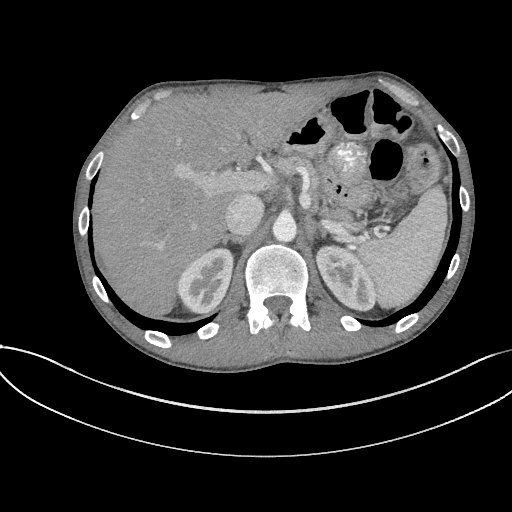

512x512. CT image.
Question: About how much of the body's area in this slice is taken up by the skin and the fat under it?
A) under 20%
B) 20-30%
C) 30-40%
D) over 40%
Answer: A) under 20%
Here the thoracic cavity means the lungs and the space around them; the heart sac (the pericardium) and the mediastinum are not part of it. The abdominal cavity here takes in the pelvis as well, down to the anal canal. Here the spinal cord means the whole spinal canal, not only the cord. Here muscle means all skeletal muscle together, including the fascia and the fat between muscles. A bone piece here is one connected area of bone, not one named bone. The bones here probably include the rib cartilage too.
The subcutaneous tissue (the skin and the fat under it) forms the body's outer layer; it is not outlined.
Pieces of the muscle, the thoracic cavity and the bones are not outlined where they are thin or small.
The bones appear in 13 outlined pieces: piece 1: [[252,334],[256,334],[262,328],[268,328],[275,323],[282,322],[300,326],[306,331],[310,329],[305,296],[308,283],[307,266],[299,252],[290,247],[277,243],[263,245],[252,252],[247,259],[244,277],[249,296],[249,307],[245,315],[249,323],[250,333]] with a hole at [[271,315],[273,314],[280,314],[281,313],[286,312],[291,302],[291,300],[288,297],[286,297],[285,296],[273,296],[272,297],[269,297],[267,298],[265,300],[264,303],[265,305],[268,308],[269,310],[269,312]]; piece 2: [[456,157],[457,157],[460,153],[460,147],[459,146],[459,144],[455,136],[450,131],[446,129],[441,124],[438,123],[436,125],[436,128],[438,131],[438,133],[439,134],[439,136],[440,138],[442,140],[443,143],[446,146],[446,147]]; piece 3: [[164,348],[167,348],[171,346],[171,341],[168,335],[162,332],[160,332],[159,331],[156,331],[155,330],[150,330],[149,329],[144,330],[144,337],[147,341],[148,341],[150,343],[154,345],[156,345],[160,347],[163,347]]; piece 4: [[88,181],[90,181],[92,179],[92,178],[97,173],[97,172],[102,163],[102,161],[103,160],[103,158],[104,157],[104,151],[103,151],[102,150],[100,150],[99,151],[98,151],[95,154],[95,155],[90,160],[90,161],[85,170],[85,178]]; piece 5: [[86,237],[87,235],[87,229],[89,225],[89,220],[90,219],[90,209],[88,206],[88,204],[87,202],[84,205],[84,206],[82,208],[79,214],[79,216],[78,217],[78,222],[77,223],[77,227],[78,228],[78,232],[79,234],[82,236],[85,236]]; piece 6: [[414,106],[418,105],[418,101],[413,96],[412,96],[409,93],[408,93],[403,89],[395,85],[390,84],[384,81],[382,79],[378,79],[378,81],[379,82],[380,82],[383,85],[385,85],[387,87],[388,87],[398,96],[403,99],[404,101]]; piece 7: [[396,333],[401,332],[402,331],[407,329],[415,322],[416,322],[416,321],[418,319],[418,317],[419,316],[419,312],[418,311],[417,312],[414,312],[413,313],[411,313],[410,314],[403,317],[397,322],[396,322],[395,323],[395,325],[394,326],[394,331]]; piece 8: [[200,339],[206,339],[207,338],[209,338],[210,337],[215,335],[217,333],[217,332],[218,331],[218,329],[219,328],[219,324],[214,321],[211,321],[210,322],[207,323],[205,325],[200,327],[195,332],[196,333],[197,336]]; piece 9: [[348,331],[355,331],[356,330],[358,330],[361,328],[361,327],[362,326],[362,324],[356,318],[355,318],[353,316],[351,316],[350,315],[343,315],[340,317],[340,322],[341,323],[341,324],[342,325],[342,326],[346,330],[347,330]]; piece 10: [[107,303],[110,303],[111,302],[111,301],[109,299],[109,298],[105,291],[105,289],[104,288],[100,279],[97,276],[97,275],[95,273],[94,273],[92,276],[92,284],[93,285],[93,287],[94,288],[96,293],[99,296],[99,297],[103,301],[104,301]]; piece 11: [[464,212],[467,211],[470,207],[470,199],[469,198],[469,196],[468,195],[468,193],[466,189],[464,187],[464,186],[461,183],[460,183],[459,185],[459,188],[458,189],[458,193],[459,194],[459,202],[460,203],[460,205],[461,206],[462,211]]; piece 12: [[445,280],[447,280],[448,279],[449,279],[454,274],[454,273],[456,271],[456,270],[458,267],[458,265],[459,264],[459,254],[458,253],[458,252],[456,250],[451,259],[451,261],[450,262],[450,264],[449,265],[449,267],[448,268],[447,273],[445,276]]; piece 13: [[133,120],[134,119],[137,119],[141,115],[141,114],[145,110],[145,109],[147,107],[147,106],[150,103],[150,101],[149,100],[147,100],[145,102],[144,102],[143,103],[140,104],[131,113],[131,114],[130,115],[130,117],[131,118],[131,119],[132,119]]. The abdominal cavity is outlined by [[172,322],[216,316],[248,256],[271,242],[299,251],[319,289],[346,314],[377,320],[409,305],[437,269],[451,228],[451,163],[435,127],[378,86],[333,95],[173,94],[156,103],[105,153],[92,194],[92,240],[96,265],[116,295],[141,315]]. The torso is outlined by [[212,374],[287,362],[343,364],[378,355],[417,337],[450,302],[467,266],[474,232],[470,161],[457,130],[406,79],[389,71],[369,70],[279,81],[158,81],[126,102],[86,156],[74,190],[72,237],[78,271],[91,303],[106,323],[139,351],[172,367]]. The spinal cord is outlined by [[271,315],[273,314],[280,314],[281,313],[286,312],[291,302],[291,300],[288,297],[286,297],[285,296],[273,296],[272,297],[269,297],[267,298],[265,300],[264,303],[265,305],[268,308],[269,310],[269,312]]. The muscle appears in 4 outlined pieces: piece 1: [[213,367],[250,365],[278,357],[339,358],[370,351],[406,337],[434,314],[457,278],[466,251],[471,201],[470,209],[462,212],[456,249],[460,254],[457,271],[449,280],[443,280],[419,310],[417,322],[398,334],[393,331],[394,324],[381,327],[363,325],[358,331],[346,331],[339,322],[339,317],[345,314],[318,289],[310,272],[306,296],[311,329],[306,332],[300,327],[282,323],[252,335],[244,315],[248,296],[242,274],[233,295],[214,319],[220,324],[215,336],[206,340],[200,340],[194,332],[169,336],[172,346],[160,348],[147,342],[143,329],[95,293],[91,284],[94,271],[87,240],[78,233],[87,282],[97,302],[117,327],[142,346],[172,360]]; piece 2: [[90,159],[100,149],[104,150],[105,152],[115,138],[130,123],[135,120],[131,120],[129,115],[140,103],[147,99],[151,101],[151,103],[142,115],[161,99],[156,101],[152,98],[152,96],[156,92],[162,90],[167,90],[170,92],[170,94],[193,93],[202,96],[227,97],[244,95],[263,89],[271,88],[278,88],[294,93],[333,94],[362,86],[378,85],[395,94],[377,81],[378,78],[382,78],[390,83],[403,88],[413,95],[419,101],[419,105],[415,107],[435,126],[439,122],[452,131],[431,107],[414,91],[393,79],[382,76],[371,76],[352,80],[285,84],[279,86],[264,86],[250,84],[210,84],[176,87],[169,86],[149,91],[138,98],[109,130],[96,148]]; piece 3: [[470,198],[470,185],[469,184],[469,176],[468,175],[468,171],[467,170],[467,165],[466,164],[465,156],[460,144],[460,146],[461,147],[461,153],[457,158],[457,161],[458,162],[458,167],[459,168],[459,172],[460,173],[460,181],[467,189],[469,193]]; piece 4: [[77,222],[77,217],[78,216],[78,214],[83,205],[87,201],[87,199],[88,198],[88,189],[89,188],[89,183],[90,182],[88,182],[84,178],[84,170],[84,172],[82,175],[81,181],[80,182],[79,193],[78,194],[78,198],[77,199]]. The thoracic cavity appears in 2 outlined pieces: piece 1: [[372,326],[394,323],[403,316],[417,311],[433,295],[444,278],[457,245],[461,219],[461,209],[457,193],[460,182],[457,162],[456,158],[446,148],[452,163],[453,172],[453,221],[446,251],[434,276],[413,303],[382,320],[369,321],[359,319],[363,324]]; piece 2: [[169,335],[177,335],[195,331],[200,326],[213,320],[215,316],[213,315],[190,323],[172,323],[146,318],[128,308],[115,295],[95,265],[90,220],[87,239],[92,263],[95,272],[101,279],[112,302],[121,313],[136,325],[144,329],[149,328],[159,330]].